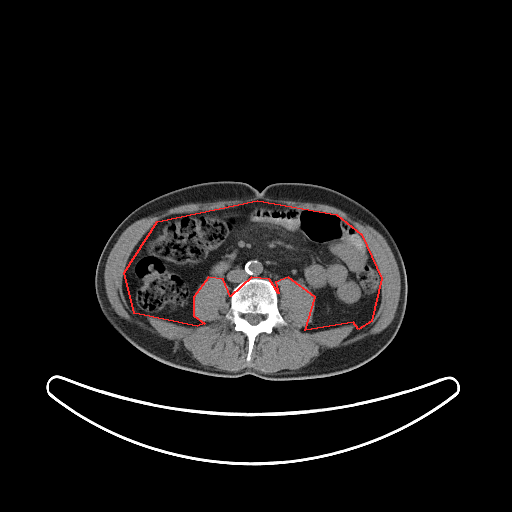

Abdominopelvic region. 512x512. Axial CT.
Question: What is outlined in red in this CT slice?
Answer: red: abdominal cavity.
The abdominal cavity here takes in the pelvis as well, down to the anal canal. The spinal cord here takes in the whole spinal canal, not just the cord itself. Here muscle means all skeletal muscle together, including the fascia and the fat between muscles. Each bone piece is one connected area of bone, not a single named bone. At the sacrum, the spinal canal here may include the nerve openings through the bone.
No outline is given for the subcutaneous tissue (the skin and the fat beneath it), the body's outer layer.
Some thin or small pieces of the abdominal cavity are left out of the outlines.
{"abdominal_cavity":[[[257,200],[336,214],[361,234],[381,278],[371,321],[358,329],[353,322],[305,330],[315,297],[288,277],[275,282],[278,293],[269,279],[251,277],[230,296],[223,279],[208,277],[193,297],[193,315],[204,323],[197,326],[134,313],[124,272],[157,221]]],"muscle":[{"outer":[[256,196],[330,205],[342,210],[355,219],[368,224],[381,234],[391,249],[400,275],[399,301],[391,322],[379,333],[369,335],[345,346],[325,350],[310,363],[298,369],[283,369],[274,373],[263,373],[248,367],[238,371],[225,371],[219,370],[212,366],[203,365],[192,358],[185,351],[177,347],[173,341],[143,330],[119,316],[107,297],[104,283],[104,271],[108,256],[113,246],[127,227],[139,219],[183,204],[246,199]],"hole":[[257,200],[336,214],[361,234],[381,278],[371,321],[307,331],[314,294],[300,279],[282,277],[275,282],[277,307],[287,324],[258,334],[247,361],[248,340],[225,318],[230,287],[219,277],[194,293],[201,325],[134,313],[122,289],[124,272],[157,221]]}],"torso":[[[220,180],[246,182],[258,190],[275,182],[322,185],[359,202],[384,224],[403,258],[407,302],[400,327],[383,350],[356,368],[325,377],[289,380],[264,379],[251,374],[217,377],[156,361],[112,327],[95,292],[96,266],[112,232],[134,209],[159,195]]],"spinal_cord":[[[246,314],[259,314],[260,315],[261,315],[262,316],[262,319],[258,323],[257,323],[256,324],[251,324],[247,320],[246,320],[245,319],[245,318],[244,317],[244,315],[245,315]]],"bones":[{"outer":[[251,278],[266,279],[271,282],[277,293],[278,310],[287,324],[274,327],[271,333],[261,332],[258,334],[254,340],[251,360],[247,361],[246,357],[249,347],[247,337],[243,332],[235,330],[234,325],[225,318],[225,315],[230,310],[232,290],[241,282]],"hole":[[246,314],[259,314],[260,315],[261,315],[262,316],[262,319],[258,323],[257,323],[256,324],[251,324],[247,320],[246,320],[245,319],[245,318],[244,317],[244,315],[245,315]]}]}